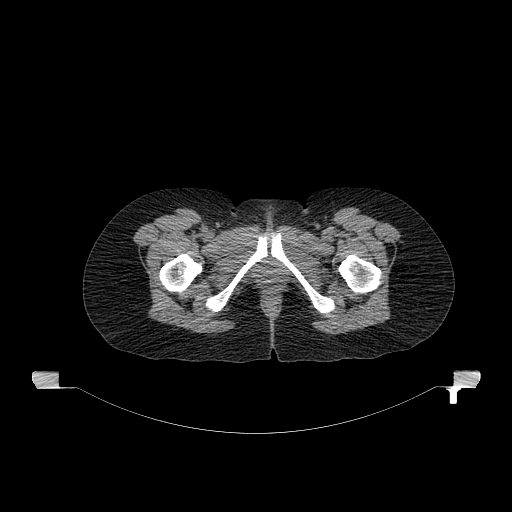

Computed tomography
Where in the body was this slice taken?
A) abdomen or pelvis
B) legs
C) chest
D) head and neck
Answer: A) abdomen or pelvis
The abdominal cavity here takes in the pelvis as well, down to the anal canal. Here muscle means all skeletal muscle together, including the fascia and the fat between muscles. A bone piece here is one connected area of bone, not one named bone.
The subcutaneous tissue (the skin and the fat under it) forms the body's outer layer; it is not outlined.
The bones appear in 3 outlined pieces: piece 1: [[273,231],[281,233],[286,255],[308,282],[320,293],[334,300],[334,310],[319,312],[293,273],[270,254],[265,258],[267,261],[256,262],[248,269],[221,310],[217,312],[209,310],[205,306],[206,298],[230,282],[255,250],[259,234],[263,232],[269,234]]; piece 2: [[349,254],[355,254],[361,258],[364,258],[368,261],[373,262],[381,269],[382,271],[382,276],[381,277],[382,283],[376,289],[366,293],[355,293],[351,290],[351,289],[346,283],[345,280],[337,271],[337,267],[338,265],[341,262],[341,261]]; piece 3: [[180,253],[188,253],[189,255],[195,261],[201,262],[202,264],[202,271],[194,278],[194,279],[190,283],[187,288],[182,292],[180,293],[178,292],[170,292],[166,290],[161,284],[159,280],[158,273],[161,266],[165,262],[168,261],[171,258],[175,257]]. The muscle is outlined by [[351,206],[388,222],[402,236],[389,274],[388,301],[391,316],[384,323],[340,334],[316,330],[310,325],[307,316],[309,302],[292,282],[285,294],[283,308],[276,318],[261,311],[257,290],[250,284],[246,285],[237,295],[229,312],[238,323],[235,328],[223,332],[192,332],[147,316],[151,304],[149,280],[140,262],[132,234],[151,217],[174,207],[188,207],[219,228],[286,225],[313,232],[325,225],[335,211]]; inner edges: [[273,231],[281,233],[286,255],[308,282],[334,300],[334,310],[319,312],[293,273],[270,254],[265,259],[283,270],[286,281],[274,314],[265,309],[262,290],[252,279],[260,261],[244,274],[221,310],[209,310],[206,298],[230,282],[255,250],[259,234]], then [[349,254],[355,254],[361,258],[364,258],[368,261],[373,262],[381,269],[382,271],[382,276],[381,277],[382,283],[376,289],[366,293],[355,293],[351,290],[351,289],[346,283],[345,280],[337,271],[337,267],[338,265],[341,262],[341,261]], then [[180,253],[188,253],[189,255],[195,261],[201,262],[202,264],[202,271],[194,278],[194,279],[190,283],[187,288],[182,292],[180,293],[178,292],[170,292],[166,290],[161,284],[159,280],[158,273],[161,266],[165,262],[168,261],[171,258],[175,257]]. The torso is outlined by [[338,186],[399,197],[428,222],[450,257],[452,303],[438,329],[414,347],[330,362],[281,362],[273,350],[268,360],[243,363],[150,359],[114,348],[89,320],[82,297],[87,257],[109,220],[137,197],[196,187],[219,191],[234,204],[252,197],[303,202]]. The abdominal cavity is outlined by [[266,260],[274,262],[283,270],[285,274],[285,280],[286,281],[285,282],[285,286],[281,292],[279,306],[276,309],[274,314],[265,309],[264,295],[262,290],[259,285],[255,281],[253,281],[252,279],[254,272],[262,264],[261,262],[265,263],[268,261]].